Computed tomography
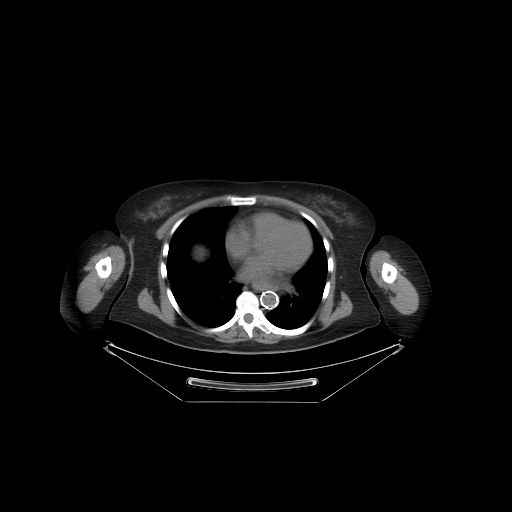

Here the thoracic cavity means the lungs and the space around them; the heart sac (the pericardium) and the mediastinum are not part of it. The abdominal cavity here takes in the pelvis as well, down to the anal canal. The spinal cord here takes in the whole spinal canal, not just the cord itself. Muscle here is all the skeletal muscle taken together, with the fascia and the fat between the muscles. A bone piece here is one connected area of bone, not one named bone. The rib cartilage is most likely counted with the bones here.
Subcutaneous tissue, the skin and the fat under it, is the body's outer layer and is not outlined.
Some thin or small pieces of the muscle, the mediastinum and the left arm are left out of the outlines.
The pericardium is outlined by [[257,207],[271,208],[278,211],[287,212],[296,216],[303,221],[308,228],[311,235],[313,243],[313,251],[311,255],[303,267],[295,273],[290,275],[284,281],[245,280],[237,275],[228,258],[225,244],[226,233],[230,226],[243,211],[249,208],[256,208]]. The mediastinum appears in 2 outlined pieces: piece 1: [[227,254],[227,258],[234,270],[236,275],[245,281],[284,282],[290,276],[294,274],[291,279],[292,285],[285,288],[284,293],[279,297],[277,305],[269,311],[264,313],[260,306],[260,301],[257,295],[251,290],[242,290],[243,285],[234,279],[234,272],[228,262],[227,259]]; piece 2: [[255,204],[263,204],[283,207],[299,214],[303,218],[303,220],[290,212],[278,210],[271,207],[264,207],[263,206],[249,207],[243,210],[236,217],[231,225],[229,226],[225,233],[225,239],[225,231],[227,224],[232,216],[237,211],[237,206],[251,206]]. The spinal cord is outlined by [[246,314],[247,314],[248,314],[249,314],[250,314],[251,315],[252,316],[252,317],[252,318],[252,319],[251,320],[251,321],[250,321],[249,322],[248,322],[247,322],[246,321],[245,321],[245,320],[244,319],[244,318],[244,317],[244,316],[245,315]]. The thoracic cavity appears in 2 outlined pieces: piece 1: [[227,205],[236,206],[236,211],[228,220],[224,231],[226,259],[233,272],[233,279],[242,286],[241,291],[235,299],[235,308],[232,316],[220,325],[207,327],[197,323],[186,315],[180,308],[172,292],[166,264],[169,243],[179,225],[191,214],[204,208]]; inner edge: [[196,243],[201,243],[205,246],[206,246],[209,249],[209,253],[210,254],[209,255],[209,257],[207,259],[207,260],[206,260],[202,263],[197,263],[196,262],[195,262],[193,260],[192,260],[192,259],[190,256],[190,250],[191,249],[192,246]]; piece 2: [[304,219],[309,221],[317,229],[322,238],[326,252],[326,280],[320,301],[311,317],[300,326],[294,328],[283,328],[272,323],[265,314],[278,305],[280,297],[285,293],[286,288],[293,285],[292,279],[294,275],[306,265],[314,251],[312,235],[304,222]]. The torso is outlined by [[190,178],[310,181],[338,187],[360,199],[371,210],[376,221],[373,242],[361,272],[381,318],[378,325],[349,337],[300,351],[231,354],[184,348],[132,326],[110,320],[109,311],[130,272],[128,248],[116,232],[116,210],[125,199],[140,189],[161,182]]. The abdominal cavity is outlined by [[196,243],[201,243],[205,246],[206,246],[209,249],[209,253],[210,254],[209,255],[209,257],[207,259],[207,260],[206,260],[202,263],[197,263],[196,262],[195,262],[193,260],[192,260],[192,259],[190,256],[190,250],[191,249],[192,246]]. The muscle appears in 3 outlined pieces: piece 1: [[226,194],[231,194],[224,197],[226,205],[204,207],[178,218],[169,230],[171,236],[169,242],[166,241],[162,244],[161,254],[166,258],[166,261],[160,261],[159,271],[161,277],[168,280],[169,286],[165,289],[166,296],[178,315],[181,316],[183,313],[197,324],[206,327],[204,331],[207,333],[223,332],[237,325],[245,331],[249,339],[253,337],[254,328],[258,328],[266,334],[291,337],[301,335],[312,325],[314,321],[312,316],[330,291],[331,283],[327,279],[327,275],[333,271],[335,265],[333,257],[327,256],[330,242],[325,236],[322,237],[318,231],[317,222],[308,213],[302,210],[298,213],[279,205],[257,203],[257,197],[250,195],[253,194],[289,199],[310,208],[323,219],[334,236],[331,244],[336,257],[335,292],[337,294],[342,290],[348,295],[353,304],[351,314],[334,321],[319,332],[268,344],[252,340],[232,343],[221,342],[211,337],[174,328],[140,309],[137,305],[139,292],[144,287],[152,290],[155,294],[159,290],[157,265],[162,242],[156,237],[155,231],[171,215],[184,207],[206,198]]; piece 2: [[109,245],[119,245],[123,248],[126,254],[126,263],[124,267],[124,270],[119,278],[105,292],[103,298],[95,308],[89,312],[84,312],[79,309],[75,303],[75,294],[81,281],[81,269],[84,264],[85,265],[87,263],[92,255],[103,248],[104,246]], around a hole outlined by [[106,256],[109,256],[111,258],[111,272],[110,273],[110,274],[107,277],[106,277],[105,278],[101,278],[100,277],[99,277],[98,276],[98,275],[97,274],[97,272],[96,271],[96,270],[95,269],[95,264],[101,258],[103,258],[104,257],[105,257]]; piece 3: [[376,250],[384,250],[388,252],[391,256],[406,270],[407,277],[415,287],[419,296],[419,306],[417,310],[413,314],[411,315],[402,315],[398,313],[390,304],[387,295],[383,291],[383,289],[376,284],[371,276],[369,270],[369,259],[371,254]] with a hole at [[383,262],[387,262],[388,263],[393,265],[396,268],[396,269],[397,270],[397,274],[396,275],[396,277],[395,278],[395,280],[392,283],[387,283],[386,282],[385,282],[383,280],[383,279],[381,276],[381,269],[382,268],[382,264],[383,263]]. The left arm is outlined by [[385,234],[391,234],[400,238],[415,251],[421,260],[430,281],[433,299],[432,322],[428,329],[414,337],[406,337],[398,339],[382,319],[375,305],[377,302],[371,296],[366,283],[365,267],[368,252],[372,244],[377,242],[381,236]]. The bones appear in 12 outlined pieces: piece 1: [[242,291],[251,291],[256,295],[266,318],[277,327],[294,329],[310,319],[313,321],[304,332],[291,336],[266,333],[258,327],[254,327],[252,337],[249,338],[246,331],[237,324],[223,331],[207,332],[205,331],[206,328],[220,326],[233,316],[236,299]] with a hole at [[246,314],[247,314],[248,314],[249,314],[250,314],[251,315],[252,316],[252,317],[252,318],[252,319],[251,320],[251,321],[250,321],[249,322],[248,322],[247,322],[246,321],[245,321],[245,320],[244,319],[244,318],[244,317],[244,316],[245,315]]; piece 2: [[227,195],[234,195],[235,196],[254,196],[255,197],[256,197],[256,198],[257,199],[257,202],[256,203],[255,203],[254,204],[252,204],[251,205],[230,205],[229,204],[228,204],[228,203],[226,201],[225,201],[225,197]]; piece 3: [[106,256],[109,256],[111,258],[111,272],[110,273],[110,274],[107,277],[106,277],[105,278],[101,278],[100,277],[99,277],[98,276],[98,275],[97,274],[97,272],[96,271],[96,270],[95,269],[95,264],[101,258],[103,258],[104,257],[105,257]]; piece 4: [[383,262],[387,262],[388,263],[393,265],[396,268],[396,269],[397,270],[397,274],[396,275],[396,277],[395,278],[395,280],[392,283],[387,283],[386,282],[385,282],[383,280],[383,279],[381,276],[381,269],[382,268],[382,264],[383,263]]; piece 5: [[167,287],[169,287],[170,288],[170,289],[171,290],[171,292],[172,293],[172,294],[173,295],[179,308],[182,312],[182,314],[181,315],[178,314],[178,313],[175,310],[175,309],[171,304],[171,303],[167,296],[167,293],[166,292],[166,289],[167,288]]; piece 6: [[300,211],[302,211],[303,212],[304,212],[305,213],[308,214],[311,217],[312,217],[314,219],[314,220],[316,222],[316,223],[318,226],[317,227],[317,228],[316,228],[315,227],[315,226],[309,220],[308,220],[307,219],[304,218],[299,213],[299,212]]; piece 7: [[161,261],[164,261],[165,262],[165,264],[166,265],[166,271],[167,272],[167,277],[166,278],[163,278],[162,277],[162,276],[161,275],[161,272],[160,271],[160,264],[161,263]]; piece 8: [[327,280],[328,280],[330,283],[330,284],[329,285],[329,291],[328,292],[328,294],[327,295],[326,298],[323,301],[322,301],[321,300],[321,299],[322,298],[322,295],[323,294],[323,291],[324,290],[324,287],[325,286],[325,284],[326,283],[326,281]]; piece 9: [[183,216],[185,216],[186,217],[178,225],[178,226],[175,229],[175,230],[173,232],[173,233],[171,235],[170,234],[170,230],[171,229],[171,228],[172,227],[172,226],[175,223],[175,222],[178,219],[179,219],[181,217],[182,217]]; piece 10: [[328,256],[331,256],[332,257],[332,258],[333,259],[333,264],[334,265],[333,266],[333,269],[332,270],[332,271],[331,271],[330,272],[328,272],[328,270],[327,269],[327,257]]; piece 11: [[166,242],[167,242],[168,243],[168,244],[169,245],[169,246],[168,247],[168,251],[167,252],[167,256],[166,257],[164,257],[163,256],[163,255],[162,254],[162,247],[163,246],[163,244],[164,243],[165,243]]; piece 12: [[323,237],[325,237],[328,240],[328,241],[329,242],[329,250],[328,251],[328,252],[327,252],[326,251],[326,250],[325,249],[325,247],[324,246],[324,243],[323,242]]. The right arm is outlined by [[100,229],[109,229],[115,232],[123,240],[127,248],[129,256],[129,272],[118,295],[113,300],[110,309],[108,311],[107,317],[105,318],[101,327],[93,333],[79,334],[72,331],[63,322],[58,309],[58,298],[64,275],[75,252],[86,238],[92,233]].